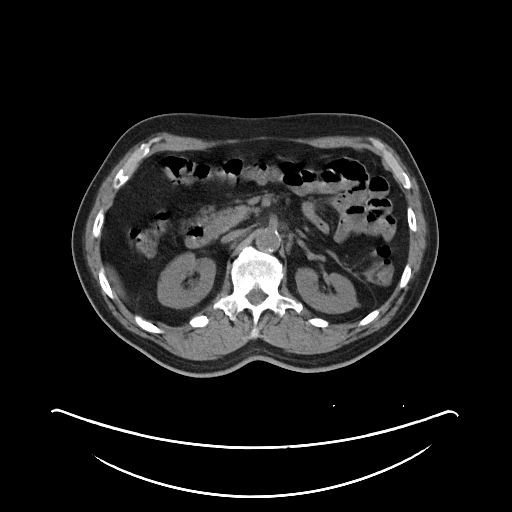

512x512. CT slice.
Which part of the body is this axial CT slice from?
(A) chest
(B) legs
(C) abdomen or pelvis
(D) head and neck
(C) abdomen or pelvis
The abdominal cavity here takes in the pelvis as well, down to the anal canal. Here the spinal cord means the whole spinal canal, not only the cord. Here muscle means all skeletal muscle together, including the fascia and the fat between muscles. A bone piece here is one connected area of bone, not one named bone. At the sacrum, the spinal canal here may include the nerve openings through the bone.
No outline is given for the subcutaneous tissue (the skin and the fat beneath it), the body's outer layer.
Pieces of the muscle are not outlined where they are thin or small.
The bones appear in 11 outlined pieces: piece 1: (246, 246) (252, 246) (278, 259) (284, 271) (278, 287) (279, 293) (303, 305) (299, 313) (287, 308) (281, 317) (266, 309) (256, 324) (258, 337) (252, 339) (250, 332) (254, 324) (248, 310) (238, 312) (233, 321) (222, 309) (213, 308) (217, 300) (232, 290) (232, 262) with a hole at (253, 289) (259, 289) (260, 290) (261, 290) (266, 295) (266, 296) (265, 297) (265, 298) (261, 302) (260, 302) (258, 304) (253, 304) (252, 303) (251, 303) (248, 300) (248, 299) (246, 297) (246, 295) (251, 290) (252, 290); piece 2: (155, 137) (159, 137) (160, 139) (158, 141) (154, 142) (150, 146) (150, 149) (147, 155) (138, 163) (137, 167) (133, 171) (125, 183) (124, 183) (118, 189) (115, 189) (112, 186) (112, 182) (117, 172) (124, 165) (132, 153) (142, 143) (147, 142) (152, 138) (154, 138); piece 3: (369, 137) (372, 137) (380, 141) (384, 145) (385, 148) (391, 153) (401, 168) (407, 174) (411, 183) (411, 187) (409, 189) (406, 189) (404, 188) (398, 181) (392, 172) (390, 167) (382, 158) (382, 156) (380, 152) (369, 140); piece 4: (135, 315) (138, 315) (139, 316) (142, 317) (144, 319) (151, 322) (153, 324) (154, 324) (159, 328) (162, 329) (164, 331) (163, 332) (163, 333) (152, 333) (151, 332) (149, 332) (148, 331) (143, 329) (141, 327) (140, 327) (136, 323) (136, 322) (134, 319) (134, 316); piece 5: (102, 267) (104, 270) (104, 273) (107, 278) (107, 280) (109, 283) (109, 285) (114, 295) (114, 298) (112, 299) (110, 298) (103, 291) (99, 283) (99, 276) (98, 275) (98, 273) (99, 272) (99, 270) (100, 268); piece 6: (101, 208) (102, 208) (104, 210) (104, 219) (103, 220) (103, 224) (101, 228) (101, 231) (100, 232) (100, 234) (98, 236) (98, 237) (94, 237) (92, 235) (92, 228) (93, 227) (93, 223) (94, 222) (94, 220) (95, 219) (95, 217) (96, 215) (98, 213) (99, 210); piece 7: (196, 315) (206, 315) (208, 317) (208, 322) (207, 323) (207, 324) (206, 325) (205, 325) (204, 326) (203, 326) (202, 327) (193, 327) (192, 326) (191, 326) (189, 324) (189, 323) (188, 322) (189, 321) (189, 320) (192, 317) (193, 317) (194, 316) (195, 316); piece 8: (406, 263) (408, 263) (411, 268) (411, 275) (410, 276) (410, 278) (409, 279) (407, 284) (404, 287) (403, 287) (402, 288) (400, 288) (399, 287) (399, 282) (400, 281) (400, 278) (401, 277) (401, 275) (402, 274) (402, 272) (404, 269) (404, 267) (405, 266); piece 9: (408, 206) (409, 206) (412, 209) (412, 210) (413, 211) (413, 212) (415, 215) (415, 217) (416, 218) (416, 224) (417, 225) (417, 229) (416, 230) (416, 231) (411, 231) (410, 230) (410, 229) (409, 228) (409, 226) (408, 225) (408, 221) (407, 220) (407, 207); piece 10: (377, 308) (378, 308) (379, 309) (379, 312) (378, 313) (377, 316) (372, 321) (371, 321) (369, 323) (368, 323) (365, 325) (358, 325) (358, 323) (359, 322) (359, 321) (361, 319) (362, 319) (367, 314) (368, 314) (371, 311) (372, 311) (373, 310) (374, 310); piece 11: (313, 317) (318, 317) (319, 318) (322, 318) (323, 319) (326, 320) (329, 323) (328, 324) (328, 325) (326, 327) (318, 327) (317, 326) (315, 326) (314, 325) (312, 325) (310, 323) (307, 322) (307, 320) (308, 319) (309, 319) (310, 318) (312, 318). The torso is outlined by (170, 112) (241, 117) (346, 112) (376, 118) (394, 129) (425, 180) (439, 230) (431, 277) (405, 324) (379, 347) (336, 369) (307, 373) (256, 360) (213, 377) (192, 377) (172, 371) (116, 335) (96, 313) (82, 288) (72, 257) (72, 227) (89, 183) (121, 134) (144, 118). The spinal cord is outlined by (253, 289) (259, 289) (260, 290) (261, 290) (266, 295) (266, 296) (265, 297) (265, 298) (261, 302) (260, 302) (258, 304) (253, 304) (252, 303) (251, 303) (248, 300) (248, 299) (246, 297) (246, 295) (251, 290) (252, 290). The abdominal cavity is outlined by (266, 140) (369, 150) (379, 157) (405, 196) (409, 229) (406, 262) (387, 299) (357, 321) (329, 322) (314, 316) (294, 297) (276, 256) (246, 245) (228, 265) (219, 292) (187, 322) (156, 325) (133, 313) (112, 289) (100, 247) (105, 213) (118, 190) (155, 153). The muscle appears in 2 outlined pieces: piece 1: (158, 132) (166, 132) (179, 136) (194, 137) (205, 140) (219, 140) (233, 138) (245, 139) (257, 136) (295, 137) (296, 138) (297, 137) (298, 138) (299, 137) (300, 138) (311, 138) (333, 135) (371, 136) (368, 137) (368, 140) (379, 152) (381, 158) (389, 167) (397, 181) (406, 190) (409, 190) (412, 187) (412, 183) (408, 174) (402, 168) (392, 153) (386, 148) (385, 145) (380, 140) (373, 137) (379, 138) (389, 145) (397, 153) (401, 160) (414, 176) (417, 182) (420, 193) (420, 201) (422, 211) (427, 229) (425, 236) (426, 245) (423, 252) (420, 267) (415, 274) (415, 277) (410, 284) (410, 287) (401, 305) (393, 317) (384, 326) (376, 331) (345, 344) (337, 349) (324, 353) (296, 354) (286, 352) (282, 348) (274, 346) (261, 339) (254, 339) (248, 341) (244, 345) (232, 352) (223, 355) (219, 358) (211, 360) (192, 360) (178, 356) (168, 351) (150, 339) (142, 337) (125, 328) (112, 314) (105, 303) (99, 291) (99, 288) (92, 275) (90, 268) (87, 264) (84, 242) (86, 223) (88, 216) (94, 205) (99, 188) (111, 170) (131, 147) (138, 142) (144, 140) (152, 134); inner edge: (155, 137) (160, 139) (150, 146) (138, 168) (158, 152) (197, 151) (253, 141) (369, 150) (401, 187) (416, 218) (416, 231) (408, 233) (406, 262) (411, 275) (407, 284) (400, 288) (398, 283) (378, 307) (377, 316) (365, 325) (358, 325) (358, 320) (318, 327) (307, 322) (314, 315) (304, 306) (299, 313) (287, 308) (281, 317) (266, 309) (256, 324) (258, 337) (252, 339) (254, 324) (248, 310) (238, 312) (233, 321) (222, 309) (213, 308) (217, 300) (232, 290) (231, 262) (219, 292) (195, 314) (206, 315) (206, 325) (157, 323) (163, 333) (143, 329) (113, 289) (112, 299) (101, 288) (101, 235) (94, 237) (92, 228) (99, 210) (102, 208) (105, 213) (114, 201) (118, 190) (112, 182) (117, 172) (142, 143); piece 2: (285, 274) (285, 278) (286, 279) (286, 286) (287, 287) (287, 289) (294, 298) (292, 297) (290, 297) (289, 296) (287, 296) (286, 295) (284, 295) (280, 293) (279, 291) (279, 287) (280, 286) (280, 284) (282, 280) (284, 278) (285, 276).